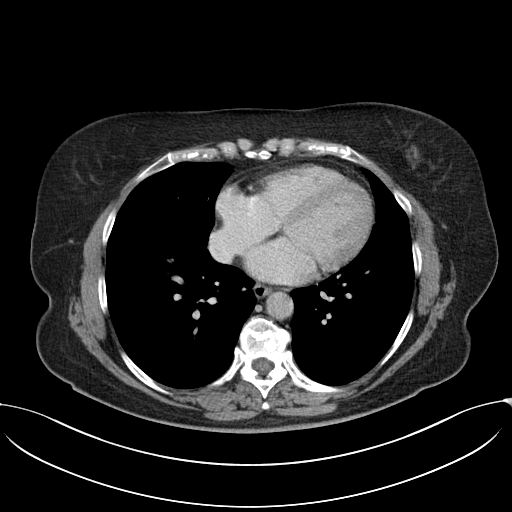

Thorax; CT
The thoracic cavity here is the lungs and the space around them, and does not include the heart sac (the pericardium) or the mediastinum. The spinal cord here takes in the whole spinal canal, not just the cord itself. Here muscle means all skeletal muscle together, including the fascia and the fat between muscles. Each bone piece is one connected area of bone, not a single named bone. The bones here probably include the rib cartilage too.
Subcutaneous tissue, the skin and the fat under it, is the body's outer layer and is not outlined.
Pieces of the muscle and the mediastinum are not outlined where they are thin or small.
{"thoracic_cavity":[[[185,161],[219,162],[232,167],[215,200],[214,225],[208,237],[207,249],[216,262],[235,266],[251,278],[256,299],[240,329],[229,366],[211,382],[193,388],[177,388],[158,383],[124,350],[108,309],[105,277],[108,240],[117,213],[129,194],[146,178]],[[365,169],[391,192],[407,216],[414,284],[409,309],[387,352],[358,378],[342,385],[330,385],[305,374],[296,364],[293,352],[288,347],[292,341],[291,323],[295,311],[291,292],[296,288],[317,285],[337,272],[353,260],[368,241],[376,222],[376,206]]],"muscle":[[[362,154],[411,193],[427,211],[434,224],[438,253],[452,259],[456,280],[453,298],[445,309],[443,318],[437,321],[431,337],[409,360],[374,388],[340,401],[334,410],[324,414],[290,416],[263,410],[248,419],[214,420],[204,416],[201,411],[164,403],[122,382],[88,351],[71,328],[68,319],[69,299],[74,291],[84,240],[97,217],[118,195],[124,184],[149,164],[136,175],[137,184],[119,209],[112,208],[106,216],[101,232],[101,243],[106,247],[105,272],[96,281],[99,307],[104,314],[109,313],[123,349],[119,355],[129,371],[145,385],[165,395],[170,392],[159,384],[177,389],[193,389],[208,384],[209,387],[217,387],[230,381],[238,372],[242,380],[251,383],[259,391],[263,399],[260,406],[263,410],[270,408],[266,400],[270,390],[287,376],[294,386],[309,392],[341,392],[343,389],[338,386],[358,379],[378,363],[384,365],[403,342],[415,316],[410,306],[415,276],[422,271],[423,261],[419,243],[411,239],[408,216],[412,214],[413,208],[410,200],[397,188],[391,191],[364,167],[369,161]],[[237,137],[244,137],[239,137],[236,140],[235,142],[234,141],[231,141],[230,140],[226,140],[225,141],[222,141],[220,142],[217,145],[217,146],[209,146],[208,147],[195,147],[191,149],[177,149],[181,149],[185,147],[189,147],[192,145],[194,145],[195,144],[198,144],[199,143],[202,143],[206,141],[211,141],[212,140],[213,141],[215,141],[217,142],[218,141],[223,141],[224,140],[233,140]],[[245,138],[248,138],[249,139],[251,139],[259,143],[260,142],[262,142],[268,139],[262,143],[262,146],[263,147],[257,150],[256,149],[254,149],[252,148],[252,145],[253,144],[247,138]]],"spinal_cord":[[[258,358],[265,358],[266,359],[267,359],[268,360],[269,360],[271,362],[272,362],[272,363],[273,364],[273,367],[264,376],[260,376],[259,375],[259,373],[253,367],[253,361],[254,360],[255,360],[256,359],[257,359]]],"bones":[{"outer":[[253,316],[265,318],[290,332],[291,341],[287,347],[295,364],[305,375],[342,390],[309,391],[294,385],[287,375],[269,390],[265,398],[269,408],[263,409],[264,399],[260,391],[251,382],[242,379],[238,371],[221,385],[209,386],[230,366],[241,329]],"hole":[[258,358],[265,358],[266,359],[267,359],[268,360],[269,360],[271,362],[272,362],[272,363],[273,364],[273,367],[264,376],[260,376],[259,375],[259,373],[253,367],[253,361],[254,360],[255,360],[256,359],[257,359]]},[[239,138],[247,139],[257,151],[272,138],[292,138],[296,145],[304,141],[348,145],[368,162],[363,166],[297,146],[289,155],[277,150],[267,159],[250,158],[238,147],[233,157],[220,151],[211,160],[180,161],[138,183],[137,175],[169,151],[217,147]],[[121,351],[124,351],[132,360],[132,361],[138,367],[139,367],[146,374],[152,378],[160,386],[167,390],[169,393],[168,394],[162,393],[150,387],[148,385],[145,384],[138,378],[137,378],[130,371],[130,370],[123,361],[120,355],[120,352]],[[410,310],[412,310],[413,311],[414,313],[414,316],[413,317],[413,320],[408,332],[406,334],[402,342],[399,345],[393,354],[388,359],[388,360],[384,364],[380,365],[379,362],[390,349],[401,326],[403,324],[403,322],[405,320],[405,318],[408,312]],[[100,275],[104,275],[104,277],[105,278],[105,285],[106,286],[106,295],[107,296],[107,309],[108,310],[106,313],[104,313],[102,311],[102,310],[100,307],[100,304],[99,303],[99,298],[98,297],[98,290],[97,289],[97,281],[98,280],[98,277]],[[114,208],[117,210],[117,212],[116,213],[116,216],[115,217],[115,220],[114,221],[113,226],[111,229],[110,234],[107,240],[106,246],[105,246],[103,245],[102,243],[102,232],[103,231],[103,227],[104,226],[104,224],[108,214],[111,211],[111,210]],[[413,241],[416,241],[418,243],[419,245],[419,247],[420,248],[420,250],[421,251],[421,254],[422,255],[422,261],[421,262],[421,271],[418,275],[415,275],[414,273],[414,268],[413,267],[413,257],[412,256],[412,250],[411,249],[411,244]],[[393,189],[397,189],[398,190],[399,190],[409,200],[409,202],[410,203],[410,204],[411,205],[411,207],[412,208],[412,211],[411,212],[411,214],[410,215],[407,215],[407,214],[399,205],[399,204],[395,199],[395,198],[392,193],[392,190]]],"torso":[[[349,101],[394,103],[435,115],[465,137],[478,159],[498,262],[491,283],[467,318],[470,353],[454,376],[347,421],[230,433],[128,414],[75,391],[46,369],[35,332],[48,299],[32,277],[30,241],[43,169],[68,135],[96,119],[128,111],[301,109]]],"pericardium":[[[292,158],[328,159],[355,170],[365,179],[369,186],[374,200],[375,221],[367,241],[353,259],[337,271],[319,281],[307,285],[286,288],[260,283],[237,264],[225,264],[216,261],[208,249],[208,244],[210,234],[216,225],[215,204],[222,186],[241,172]]],"mediastinum":[[[246,273],[253,277],[260,284],[279,287],[280,288],[285,288],[286,289],[299,287],[294,288],[290,292],[294,305],[294,311],[290,323],[290,331],[277,325],[271,320],[265,317],[257,315],[253,315],[249,317],[256,305],[257,299],[253,290],[254,281]],[[275,152],[282,156],[302,152],[315,156],[336,156],[365,168],[364,173],[369,179],[369,185],[355,169],[338,161],[316,157],[277,160],[241,171],[226,181],[233,170],[230,164],[200,161],[211,161],[222,156],[233,158],[240,154],[250,159],[267,160]]]}